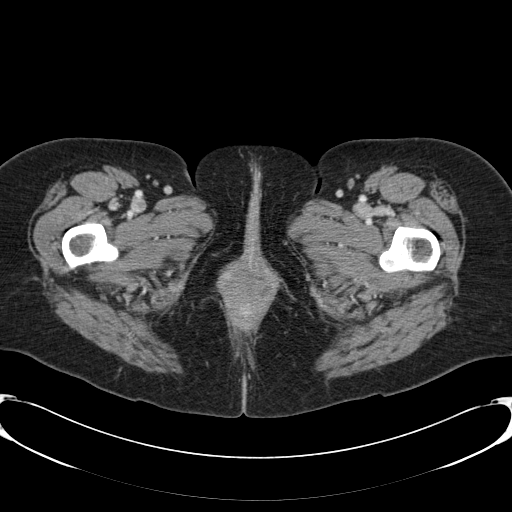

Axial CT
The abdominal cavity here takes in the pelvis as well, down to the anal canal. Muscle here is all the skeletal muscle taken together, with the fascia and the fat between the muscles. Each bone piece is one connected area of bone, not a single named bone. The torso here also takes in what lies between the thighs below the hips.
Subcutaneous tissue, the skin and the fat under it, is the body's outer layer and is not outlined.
{"abdominal_cavity":[[[244,260],[245,261],[256,262],[263,269],[263,271],[267,278],[268,285],[270,289],[269,293],[267,294],[263,304],[257,312],[249,329],[246,331],[240,331],[234,327],[230,317],[230,313],[225,292],[224,277],[231,268],[241,263]]],"muscle":[{"outer":[[390,162],[418,165],[435,172],[454,188],[463,210],[465,246],[452,320],[427,343],[397,361],[349,376],[330,379],[321,377],[310,366],[323,350],[329,336],[314,308],[286,239],[286,226],[290,216],[306,201],[314,198],[334,201],[352,198],[373,170]],"hole":[[399,226],[407,226],[408,227],[423,226],[435,234],[440,244],[441,254],[437,265],[433,270],[431,271],[419,271],[418,272],[410,271],[409,270],[386,272],[380,267],[378,263],[378,257],[384,250],[389,247],[391,243],[393,234],[396,228]]},{"outer":[[105,163],[130,172],[142,188],[153,195],[195,195],[212,210],[215,226],[210,244],[187,288],[160,327],[166,341],[181,356],[185,367],[183,374],[147,372],[102,349],[64,323],[42,293],[40,275],[31,253],[27,232],[31,210],[46,187],[60,175]],"hole":[[86,221],[100,223],[104,227],[108,241],[118,248],[119,250],[119,256],[117,259],[112,262],[104,262],[103,261],[99,262],[97,261],[87,264],[83,264],[77,266],[73,269],[69,269],[61,251],[61,239],[62,236],[66,230],[69,228],[81,224]]},{"outer":[[253,249],[259,251],[261,255],[274,268],[280,278],[280,286],[277,296],[264,318],[257,333],[257,335],[248,346],[245,348],[243,347],[241,349],[238,349],[231,342],[216,282],[218,278],[219,272],[224,265],[244,252]],"hole":[[244,260],[245,261],[256,262],[263,269],[263,271],[267,278],[268,285],[270,289],[269,293],[267,294],[263,304],[257,312],[249,329],[246,331],[240,331],[234,327],[230,317],[230,313],[225,292],[224,277],[231,268],[241,263]]}],"torso":[[[230,144],[271,144],[282,146],[298,152],[312,164],[315,164],[375,395],[362,399],[346,401],[302,414],[267,418],[248,417],[243,414],[238,417],[217,417],[190,414],[164,409],[140,400],[133,401],[190,178],[194,177],[196,165],[204,154],[214,148]]],"left_leg":[[[413,136],[439,138],[449,140],[468,147],[485,158],[501,174],[511,188],[511,356],[491,357],[473,361],[415,388],[388,396],[382,396],[380,394],[377,394],[375,390],[329,213],[319,179],[316,163],[319,158],[328,149],[344,141],[361,138],[399,138]]],"bones":[[[399,226],[407,226],[408,227],[423,226],[435,234],[440,244],[441,254],[437,265],[433,270],[431,271],[419,271],[418,272],[410,271],[409,270],[386,272],[380,267],[378,263],[378,257],[384,250],[389,247],[391,243],[393,234],[396,228]],[[86,221],[100,223],[104,227],[108,241],[118,248],[119,250],[119,256],[117,259],[112,262],[104,262],[103,261],[99,262],[97,261],[87,264],[83,264],[77,266],[73,269],[69,269],[61,251],[61,239],[62,236],[66,230],[69,228],[81,224]]],"right_leg":[[[64,137],[117,138],[118,139],[142,140],[158,143],[171,148],[183,158],[186,163],[187,170],[190,176],[132,401],[100,390],[82,379],[54,370],[27,355],[14,351],[0,350],[0,164],[16,153],[28,147],[45,141]]]}